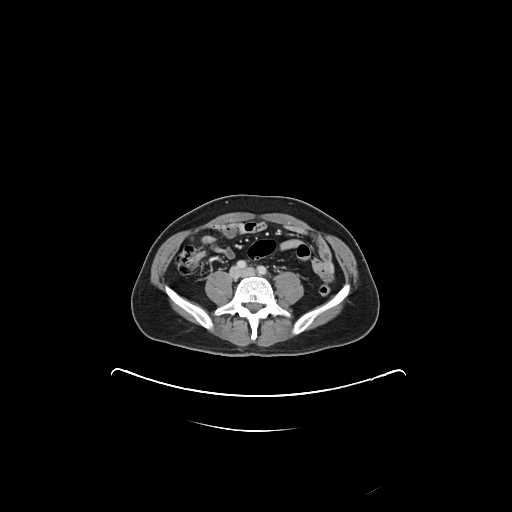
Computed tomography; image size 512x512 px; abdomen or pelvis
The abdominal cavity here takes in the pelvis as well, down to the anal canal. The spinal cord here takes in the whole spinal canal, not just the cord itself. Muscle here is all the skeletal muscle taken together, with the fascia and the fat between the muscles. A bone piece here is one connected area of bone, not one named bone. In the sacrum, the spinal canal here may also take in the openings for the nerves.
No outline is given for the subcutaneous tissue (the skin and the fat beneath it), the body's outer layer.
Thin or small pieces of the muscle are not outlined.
{"abdominal_cavity":[[[251,219],[320,235],[343,273],[342,286],[300,315],[292,305],[304,295],[304,286],[289,270],[273,277],[273,288],[267,278],[254,274],[242,277],[234,289],[229,273],[213,271],[204,284],[213,309],[180,295],[167,283],[166,272],[183,241],[217,224]]],"spinal_cord":[[[246,303],[259,303],[260,304],[261,304],[263,306],[262,307],[261,307],[258,310],[257,310],[255,312],[252,312],[251,311],[250,311],[245,306],[245,304]]],"torso":[[[232,194],[275,195],[296,198],[327,213],[351,233],[366,259],[379,295],[379,315],[377,321],[365,336],[346,345],[313,353],[264,357],[255,355],[226,356],[195,351],[152,340],[140,331],[132,317],[130,296],[135,280],[152,243],[176,218],[205,202]]],"bones":[{"outer":[[254,275],[264,277],[269,281],[276,302],[290,313],[290,317],[283,315],[273,316],[270,314],[261,319],[257,327],[257,336],[253,340],[251,338],[251,328],[246,318],[236,313],[215,315],[214,311],[216,308],[226,304],[233,297],[235,288],[242,278]],"hole":[[246,303],[259,303],[260,304],[261,304],[263,306],[262,307],[261,307],[258,310],[257,310],[255,312],[252,312],[251,311],[250,311],[245,306],[245,304]]},[[345,283],[349,283],[350,285],[350,290],[347,296],[346,296],[342,301],[336,305],[320,313],[313,320],[313,321],[304,331],[296,335],[294,335],[292,333],[292,328],[293,327],[293,324],[294,322],[302,314],[310,310],[312,310],[324,304],[330,300]],[[166,284],[167,284],[173,290],[174,290],[183,298],[186,299],[191,303],[195,305],[197,305],[204,309],[210,316],[212,320],[212,322],[213,323],[213,328],[211,330],[206,329],[200,325],[189,313],[188,313],[185,310],[176,304],[165,292],[164,287]]],"muscle":[[[237,211],[256,214],[274,212],[289,214],[311,227],[343,241],[356,260],[359,285],[341,312],[328,322],[305,331],[320,314],[342,302],[351,290],[351,285],[349,282],[345,282],[344,273],[327,240],[311,230],[262,218],[251,218],[217,223],[190,234],[182,241],[165,272],[166,283],[163,289],[166,295],[199,325],[176,313],[170,307],[164,294],[150,282],[151,265],[157,250],[170,236],[180,231],[204,224],[219,215]],[[286,271],[296,273],[303,286],[303,295],[291,305],[294,313],[299,316],[291,328],[291,333],[295,336],[270,346],[256,344],[238,346],[219,338],[207,330],[211,331],[214,328],[213,320],[207,311],[188,300],[194,301],[209,310],[214,309],[213,314],[215,316],[236,314],[246,319],[250,328],[250,338],[254,341],[258,336],[261,320],[270,315],[273,317],[291,317],[291,313],[277,302],[274,293],[274,277],[280,272]],[[220,269],[224,272],[226,272],[229,274],[232,280],[232,284],[233,285],[233,289],[234,291],[233,292],[233,295],[232,297],[226,303],[222,304],[217,307],[206,294],[206,292],[205,291],[205,284],[208,276],[209,276],[210,274],[213,272]]]}